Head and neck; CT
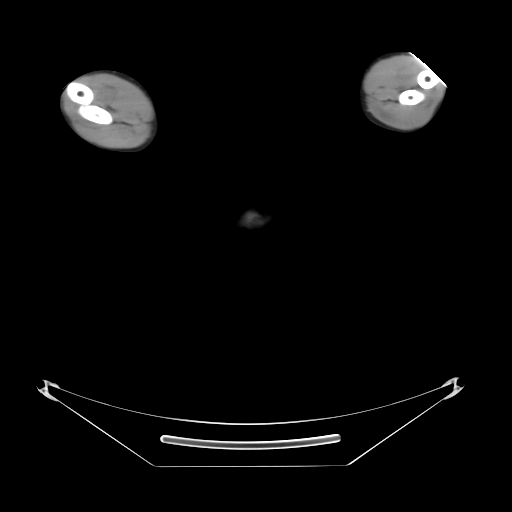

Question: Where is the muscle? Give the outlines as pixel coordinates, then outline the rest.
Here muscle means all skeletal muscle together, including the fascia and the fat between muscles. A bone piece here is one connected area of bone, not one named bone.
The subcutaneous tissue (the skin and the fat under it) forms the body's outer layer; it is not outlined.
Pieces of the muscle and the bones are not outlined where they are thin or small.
Answer: {"muscle":[[[99,72],[126,79],[147,97],[152,111],[151,130],[141,144],[129,148],[96,145],[74,129],[62,110],[61,94],[68,83],[66,96],[77,105],[76,111],[83,119],[100,125],[108,125],[114,120],[107,109],[93,103],[93,90],[85,83],[74,80]],{"outer":[[410,53],[416,56],[429,67],[415,75],[417,84],[423,90],[432,89],[441,79],[446,86],[441,100],[427,122],[422,126],[411,130],[402,130],[383,123],[368,110],[366,103],[366,93],[364,90],[364,82],[367,73],[377,61],[394,55],[409,55]],"hole":[[414,88],[415,88],[418,91],[419,91],[423,95],[425,95],[426,96],[425,98],[419,103],[417,104],[415,104],[414,105],[405,105],[404,104],[401,104],[398,101],[398,95],[402,91],[404,90],[406,90],[407,89],[413,89]]},[[247,212],[255,212],[256,213],[257,213],[259,215],[259,216],[262,219],[263,219],[264,220],[263,223],[262,223],[260,225],[256,225],[253,227],[248,227],[245,225],[243,225],[241,223],[241,220],[242,219],[243,216]]],"bones":[[[73,79],[74,79],[73,80],[74,81],[85,84],[92,90],[94,94],[92,103],[102,108],[104,108],[111,114],[113,120],[110,123],[108,124],[96,123],[83,118],[78,113],[77,111],[78,105],[67,96],[68,95],[67,94],[68,85],[70,81]],[[414,88],[415,88],[418,91],[419,91],[423,95],[425,95],[426,96],[425,98],[419,103],[417,104],[415,104],[414,105],[405,105],[404,104],[401,104],[398,101],[398,95],[402,91],[404,90],[406,90],[407,89],[413,89]],[[428,68],[430,68],[440,78],[441,78],[437,82],[436,85],[435,86],[434,86],[432,88],[425,88],[424,89],[423,89],[418,84],[418,80],[417,79],[417,76],[416,75],[419,74],[421,72],[424,71],[426,69],[427,69]]],"left_arm":[[[390,51],[407,51],[409,53],[413,54],[425,63],[441,78],[447,86],[443,103],[439,111],[433,119],[421,129],[408,134],[401,134],[400,133],[388,131],[371,123],[364,116],[359,107],[357,100],[358,82],[361,73],[366,64],[372,58],[377,55]]],"head_and_neck":[[[249,208],[254,208],[262,214],[267,214],[273,218],[273,221],[271,223],[268,224],[264,230],[259,230],[258,231],[249,232],[248,231],[245,231],[244,230],[241,230],[239,229],[233,224],[232,219],[234,218],[235,216],[239,215],[242,212]]],"right_arm":[[[94,69],[113,69],[127,73],[139,80],[149,90],[155,101],[160,120],[159,132],[153,142],[149,146],[140,151],[132,152],[131,153],[110,152],[97,148],[84,141],[68,127],[64,121],[59,109],[59,96],[60,93],[65,86],[76,76],[86,71]]]}